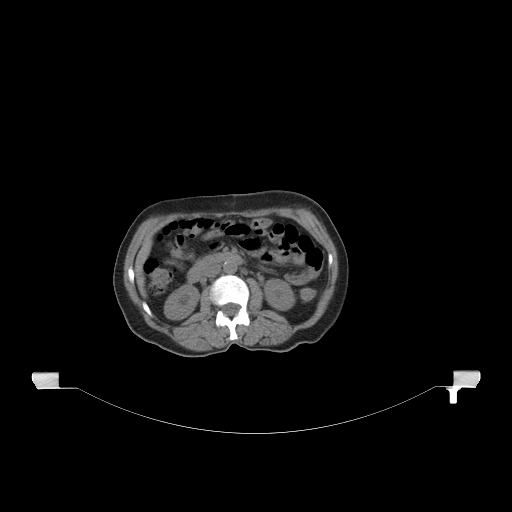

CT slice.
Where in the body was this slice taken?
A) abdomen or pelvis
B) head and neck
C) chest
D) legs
A) abdomen or pelvis
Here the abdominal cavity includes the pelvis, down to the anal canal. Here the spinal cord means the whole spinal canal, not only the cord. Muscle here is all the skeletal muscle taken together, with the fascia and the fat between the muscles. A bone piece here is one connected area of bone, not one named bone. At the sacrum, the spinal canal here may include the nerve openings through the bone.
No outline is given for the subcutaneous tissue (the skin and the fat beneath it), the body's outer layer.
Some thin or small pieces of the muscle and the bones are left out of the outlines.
spinal cord: 228,303 233,303 234,304 237,304 238,305 239,305 239,308 238,309 238,310 237,311 237,312 233,316 232,316 231,317 230,317 229,316 227,316 223,312 223,311 221,309 221,307 223,305 225,305
bones 1: 227,274 236,275 244,280 249,290 249,297 247,301 249,324 237,324 235,326 235,331 237,334 237,338 235,340 229,339 230,332 229,328 226,325 217,326 215,324 217,307 210,298 210,287 214,280 221,275 with a hole at 228,303 233,303 234,304 237,304 238,305 239,305 239,308 238,309 238,310 237,311 237,312 233,316 232,316 231,317 230,317 229,316 227,316 223,312 223,311 221,309 221,307 223,305 225,305
bones 2: 130,266 132,266 132,267 133,268 133,271 134,272 134,282 133,283 131,283 130,282 130,281 129,280 129,278 128,277 128,268
bones 3: 143,301 145,301 146,302 146,303 148,305 148,306 149,307 149,308 150,309 150,310 151,311 151,312 152,313 152,315 151,316 150,316 144,310 144,309 143,308 143,307 142,306 142,302
abdominal cavity: 272,214 297,222 327,253 326,285 305,317 290,321 274,310 263,308 260,284 251,277 245,281 231,273 221,274 206,286 199,295 198,310 178,324 160,319 138,292 134,271 136,255 144,239 165,221 181,217
muscle: 268,207 309,209 322,222 336,248 338,276 334,294 315,324 297,330 290,338 275,345 247,345 236,341 236,326 250,324 248,278 255,280 261,288 261,307 284,316 290,322 305,318 327,285 328,268 333,264 333,255 297,221 274,213 257,216 181,216 165,220 143,239 133,267 130,265 127,268 129,282 135,282 137,292 144,300 141,302 143,310 150,317 153,313 170,325 178,325 197,312 200,295 210,286 209,298 216,307 214,324 217,327 226,326 231,341 222,347 195,351 179,345 144,321 123,283 125,255 133,235 144,220 152,215 173,212 243,211
torso: 266,189 293,190 314,199 327,212 344,243 349,265 348,289 341,313 333,326 317,342 302,343 286,352 252,351 233,344 225,352 204,357 177,355 135,335 129,329 117,303 112,274 119,245 138,213 165,198